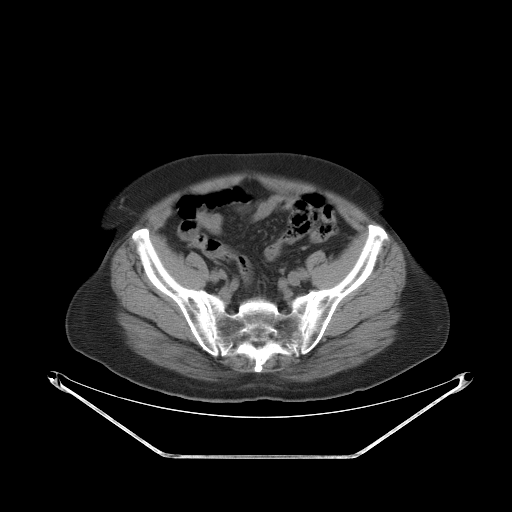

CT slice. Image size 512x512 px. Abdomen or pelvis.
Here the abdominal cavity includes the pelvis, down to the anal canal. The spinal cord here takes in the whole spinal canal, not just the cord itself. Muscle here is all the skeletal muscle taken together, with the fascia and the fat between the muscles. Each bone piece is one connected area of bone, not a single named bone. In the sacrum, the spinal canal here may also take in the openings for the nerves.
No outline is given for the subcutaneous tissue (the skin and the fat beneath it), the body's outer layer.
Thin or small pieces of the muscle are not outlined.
Outlined structures:
torso: (259, 150) (328, 158) (384, 194) (390, 205) (384, 214) (387, 220) (445, 293) (450, 330) (444, 347) (366, 390) (323, 400) (224, 403) (140, 386) (74, 350) (65, 335) (64, 315) (72, 294) (98, 266) (112, 238) (110, 232) (98, 229) (112, 195) (138, 174) (173, 158)
abdominal cavity: (244, 179) (257, 180) (278, 192) (321, 193) (357, 231) (336, 257) (318, 249) (303, 260) (313, 289) (295, 296) (287, 312) (260, 296) (244, 299) (236, 311) (229, 312) (221, 297) (203, 289) (208, 278) (204, 259) (194, 251) (177, 252) (158, 231) (182, 194) (205, 193)
spinal cord: (261, 341) (263, 341) (264, 342) (264, 343) (262, 345) (260, 345) (259, 346) (255, 346) (252, 343) (252, 342) (260, 342)
muscle 1: (243, 172) (298, 180) (329, 190) (361, 208) (381, 225) (367, 225) (367, 235) (361, 250) (342, 279) (330, 287) (318, 289) (312, 284) (304, 260) (318, 250) (327, 258) (334, 259) (358, 233) (342, 216) (337, 206) (318, 191) (278, 191) (266, 187) (257, 179) (244, 178) (235, 184) (205, 192) (182, 193) (171, 205) (171, 213) (157, 231) (177, 253) (187, 255) (194, 252) (203, 259) (207, 278) (199, 289) (182, 285) (169, 273) (152, 243) (147, 227) (134, 230) (130, 239) (135, 245) (145, 275) (158, 290) (176, 303) (199, 346) (213, 357) (244, 355) (254, 361) (254, 372) (239, 373) (225, 381) (192, 378) (151, 362) (126, 344) (123, 329) (116, 319) (119, 305) (110, 285) (111, 259) (126, 233) (152, 205) (192, 184)
muscle 2: (387, 231) (401, 248) (406, 264) (406, 283) (399, 300) (402, 313) (400, 320) (395, 325) (397, 329) (395, 340) (357, 366) (312, 381) (285, 381) (273, 373) (261, 373) (263, 365) (274, 355) (298, 357) (307, 354) (319, 343) (339, 303) (372, 273) (384, 242) (389, 239)
bones: (369, 224) (388, 235) (371, 273) (338, 303) (310, 351) (274, 354) (260, 372) (244, 354) (213, 356) (200, 346) (177, 303) (146, 275) (131, 239) (134, 231) (147, 228) (168, 273) (186, 288) (217, 295) (229, 313) (253, 297) (287, 313) (295, 297) (343, 279) (362, 250), around a hole outlined by (261, 341) (263, 341) (264, 342) (264, 343) (262, 345) (260, 345) (259, 346) (255, 346) (252, 343) (252, 342) (260, 342)